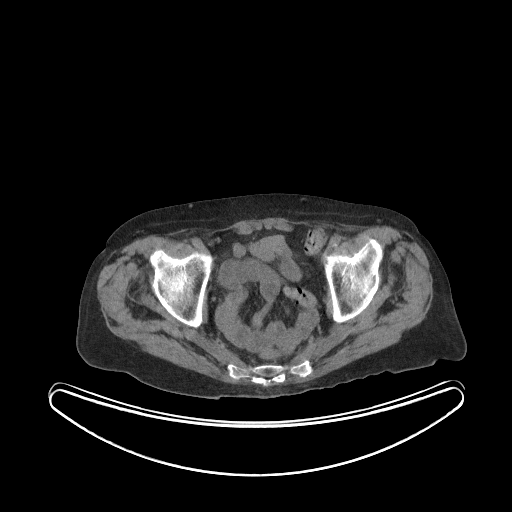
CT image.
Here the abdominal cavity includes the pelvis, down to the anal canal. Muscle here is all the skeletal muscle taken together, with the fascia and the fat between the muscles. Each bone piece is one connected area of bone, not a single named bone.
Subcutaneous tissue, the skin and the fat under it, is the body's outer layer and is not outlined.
{"bones":[[[159,248],[162,249],[167,254],[177,258],[185,257],[194,251],[210,254],[213,258],[212,268],[207,282],[204,301],[202,305],[202,322],[197,327],[187,325],[171,315],[161,304],[154,293],[151,285],[154,277],[154,270],[149,261],[149,257],[154,250]],[[368,238],[375,239],[382,246],[383,250],[383,256],[378,268],[380,279],[378,288],[369,304],[360,313],[346,321],[336,322],[332,319],[332,302],[328,289],[326,276],[324,272],[323,256],[324,254],[330,254],[333,252],[351,256],[359,250]],[[304,360],[309,361],[312,367],[311,373],[304,377],[301,377],[297,374],[292,374],[287,371],[284,381],[271,381],[266,386],[253,382],[249,377],[242,377],[239,379],[232,378],[229,375],[227,368],[227,365],[229,363],[246,367],[261,364],[294,365]]],"muscle":[{"outer":[[266,217],[296,221],[329,219],[359,226],[387,225],[409,233],[429,262],[433,297],[425,318],[406,330],[398,342],[309,381],[262,387],[227,383],[178,366],[142,351],[108,329],[97,299],[96,284],[103,264],[115,250],[151,234],[216,229],[244,219]],"hole":[[296,226],[329,229],[325,254],[351,256],[368,238],[375,239],[383,250],[378,288],[360,313],[343,322],[332,319],[326,289],[330,321],[325,331],[283,364],[308,360],[312,367],[308,375],[287,371],[284,381],[266,386],[249,377],[232,378],[229,363],[252,364],[206,330],[207,294],[201,324],[181,322],[154,293],[149,257],[159,248],[177,258],[194,251],[209,254],[205,245],[220,232],[247,235],[263,228],[290,232]]}],"abdominal_cavity":[[[296,226],[313,226],[329,229],[331,232],[322,256],[327,284],[324,297],[325,312],[330,321],[323,333],[298,350],[289,361],[283,364],[252,365],[206,330],[206,290],[214,258],[205,245],[212,235],[220,232],[232,231],[247,235],[263,228],[290,232]]],"torso":[[[273,192],[309,194],[377,205],[411,219],[432,245],[447,274],[467,343],[466,354],[461,360],[440,359],[427,367],[398,373],[384,371],[293,395],[210,399],[164,391],[127,373],[90,366],[81,358],[75,344],[81,290],[93,259],[117,227],[154,208]]]}